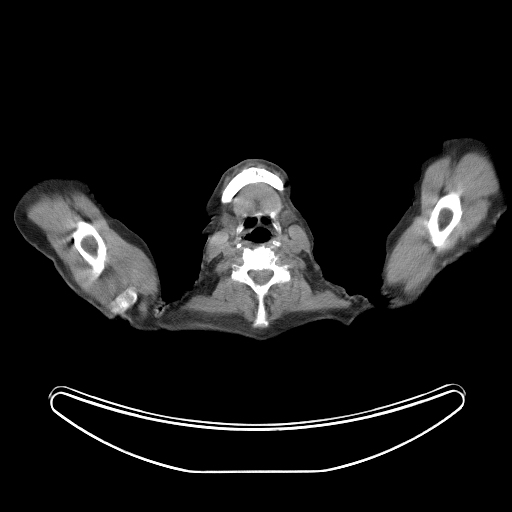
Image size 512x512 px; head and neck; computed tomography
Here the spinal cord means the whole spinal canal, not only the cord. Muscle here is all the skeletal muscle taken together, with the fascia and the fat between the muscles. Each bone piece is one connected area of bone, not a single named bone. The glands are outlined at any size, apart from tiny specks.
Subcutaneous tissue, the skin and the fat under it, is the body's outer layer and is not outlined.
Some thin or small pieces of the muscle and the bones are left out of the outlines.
torso 1: [[319,265],[322,270],[323,275],[330,281],[333,283],[343,286],[350,294],[361,294],[365,296],[372,303],[376,306],[380,307],[380,308],[375,308],[367,311],[363,315],[358,316],[347,326],[334,320],[322,320],[301,327],[315,298],[316,289],[319,283]]
torso 2: [[192,283],[192,285],[197,294],[201,310],[204,317],[220,333],[217,332],[205,332],[204,331],[199,331],[198,332],[171,332],[165,330],[160,330],[154,332],[143,332],[138,330],[159,313],[165,301],[166,302],[170,302],[177,297],[184,289]]
head and neck: [[246,158],[263,158],[286,171],[292,186],[292,202],[312,232],[313,255],[318,263],[318,283],[314,298],[301,326],[267,341],[255,341],[221,333],[205,317],[193,285],[198,275],[206,241],[206,236],[201,234],[209,221],[205,211],[206,203],[222,173]], around a hole outlined by [[264,215],[267,215],[270,218],[271,220],[271,225],[277,233],[277,237],[275,238],[275,241],[273,242],[256,242],[252,240],[246,239],[244,237],[244,232],[245,231],[243,230],[245,227],[245,225],[243,222],[244,220],[246,218],[251,216],[260,217]]
muscle 1: [[465,149],[477,150],[487,157],[496,179],[497,193],[489,208],[485,221],[465,241],[460,243],[441,260],[433,274],[417,292],[405,294],[399,286],[392,286],[387,283],[386,266],[391,250],[412,217],[418,213],[420,188],[426,168],[433,161],[444,155]], around a hole outlined by [[450,191],[456,191],[459,192],[459,198],[460,199],[460,204],[462,210],[461,217],[459,222],[454,227],[450,235],[443,244],[440,246],[434,247],[430,240],[426,228],[427,226],[427,220],[429,218],[431,211],[433,209],[436,202],[439,198]]
muscle 2: [[60,187],[83,192],[109,225],[149,258],[156,277],[157,292],[151,301],[147,317],[140,317],[136,309],[127,311],[139,299],[138,292],[132,286],[118,293],[107,305],[107,312],[104,311],[72,281],[44,232],[28,219],[25,207],[30,200],[40,192]] with a hole at [[82,219],[87,222],[89,222],[95,227],[106,246],[106,252],[108,260],[105,263],[105,267],[103,271],[97,278],[95,278],[93,273],[90,270],[91,268],[90,265],[74,247],[73,244],[73,238],[71,236],[71,234],[75,229],[74,226],[79,220]]
muscle 3: [[250,161],[271,166],[281,173],[284,182],[276,173],[264,167],[244,167],[222,189],[219,201],[226,204],[244,186],[263,182],[281,192],[285,189],[285,186],[287,201],[291,208],[287,207],[280,213],[279,222],[276,218],[277,211],[274,209],[257,210],[238,224],[238,221],[229,213],[223,213],[219,217],[219,222],[226,232],[235,228],[236,238],[244,231],[243,237],[246,240],[260,243],[253,247],[243,246],[241,248],[240,256],[230,264],[230,279],[247,285],[255,294],[257,301],[256,312],[251,325],[252,326],[253,327],[254,328],[255,328],[265,328],[262,329],[258,329],[257,328],[253,328],[251,327],[238,315],[215,317],[187,312],[181,313],[178,310],[198,293],[204,281],[208,242],[218,221],[218,194],[223,181],[235,168]]
muscle 4: [[297,217],[308,237],[309,254],[323,285],[351,304],[339,309],[292,312],[277,319],[269,326],[265,297],[272,286],[291,280],[291,266],[275,253],[273,245],[265,243],[279,246],[281,243],[276,242],[276,238],[282,232],[280,223],[287,227],[293,224]]
spinal cord: [[258,270],[270,270],[272,272],[272,274],[271,275],[271,276],[269,278],[269,279],[267,281],[266,281],[264,283],[262,283],[261,284],[260,284],[259,283],[257,283],[251,277],[251,276],[249,274],[249,272],[250,271],[257,271]]
left arm: [[459,136],[478,137],[486,144],[501,183],[506,211],[500,217],[494,235],[477,250],[447,266],[417,303],[397,311],[381,308],[387,302],[378,292],[381,285],[380,272],[385,255],[386,235],[411,204],[413,183],[420,175],[421,163],[439,150],[445,139]]
right arm: [[54,175],[73,176],[85,181],[105,210],[139,235],[149,247],[159,272],[161,294],[164,301],[158,313],[137,330],[132,329],[122,320],[108,321],[95,308],[79,298],[66,285],[52,262],[31,246],[17,229],[13,219],[13,211],[20,196],[36,181]]
submandibular glands 1: [[287,208],[289,208],[290,209],[291,209],[293,211],[293,212],[295,214],[295,215],[296,216],[296,220],[293,223],[292,223],[291,224],[290,224],[289,225],[288,225],[287,226],[284,226],[280,222],[280,215],[281,214],[281,213],[285,209],[286,209]]
submandibular glands 2: [[223,214],[229,214],[231,216],[232,216],[237,221],[237,225],[233,229],[230,229],[229,230],[227,230],[226,231],[226,230],[225,229],[224,229],[225,228],[222,225],[222,224],[220,222],[220,217]]
bones 1: [[261,243],[273,246],[274,253],[279,256],[282,262],[290,266],[290,280],[274,284],[269,288],[264,297],[266,318],[269,324],[267,327],[254,327],[252,324],[256,317],[258,304],[256,294],[247,284],[231,279],[231,264],[241,256],[243,247],[253,248]] with a hole at [[258,270],[270,270],[272,272],[272,274],[271,275],[271,276],[269,278],[269,279],[267,281],[266,281],[264,283],[262,283],[261,284],[260,284],[259,283],[257,283],[251,277],[251,276],[249,274],[249,272],[250,271],[257,271]]
bones 2: [[450,191],[456,191],[459,192],[459,198],[460,199],[460,204],[462,210],[461,217],[459,222],[454,227],[450,235],[443,244],[440,246],[434,247],[430,240],[426,228],[427,226],[427,220],[429,218],[431,211],[433,209],[436,202],[439,198]]
bones 3: [[82,219],[87,222],[89,222],[95,227],[106,246],[106,252],[108,260],[105,263],[105,267],[103,271],[97,278],[95,278],[93,273],[90,270],[91,268],[90,265],[74,247],[73,244],[73,238],[71,236],[71,234],[75,229],[74,226],[79,220]]
bones 4: [[249,167],[260,167],[261,168],[264,168],[276,174],[283,181],[284,183],[284,189],[281,191],[278,190],[268,183],[263,181],[248,183],[241,187],[235,193],[230,201],[226,203],[222,203],[220,201],[220,197],[223,189],[235,175],[244,168],[248,168]]
bones 5: [[128,287],[132,287],[137,292],[137,294],[138,295],[138,299],[136,303],[135,303],[131,307],[130,307],[122,315],[115,315],[114,316],[110,316],[108,315],[107,313],[108,312],[108,305],[110,303],[110,302],[118,294],[122,292]]
bones 6: [[274,210],[276,211],[276,215],[275,216],[275,218],[279,223],[280,227],[281,228],[281,232],[279,235],[278,235],[277,231],[272,225],[272,220],[271,218],[267,214],[264,214],[260,216],[255,216],[253,215],[253,213],[257,211],[273,211]]